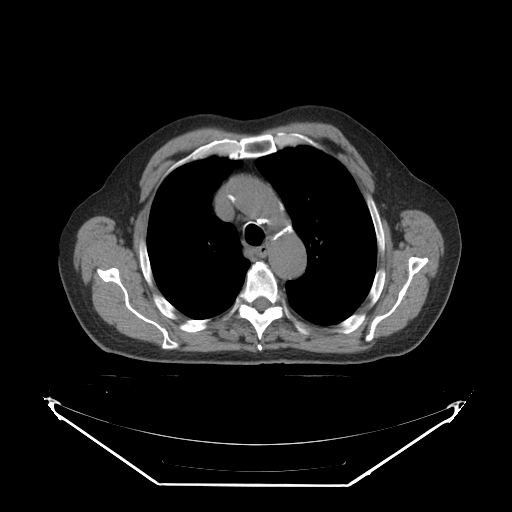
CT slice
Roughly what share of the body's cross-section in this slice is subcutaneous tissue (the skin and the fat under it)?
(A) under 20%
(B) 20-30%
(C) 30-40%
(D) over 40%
Answer: (B) 20-30%
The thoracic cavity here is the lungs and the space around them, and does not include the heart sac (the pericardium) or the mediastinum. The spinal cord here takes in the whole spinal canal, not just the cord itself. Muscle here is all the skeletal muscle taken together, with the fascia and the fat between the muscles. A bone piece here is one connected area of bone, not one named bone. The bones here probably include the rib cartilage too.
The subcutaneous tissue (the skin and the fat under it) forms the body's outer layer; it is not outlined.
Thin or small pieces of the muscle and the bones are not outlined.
The bones appear in 10 outlined pieces: piece 1: [[257,261],[263,261],[267,264],[275,276],[279,288],[283,290],[289,311],[298,321],[309,329],[308,334],[301,333],[295,327],[294,322],[284,315],[273,320],[265,328],[259,339],[253,325],[247,319],[239,317],[236,312],[225,318],[244,286],[248,269]], around a hole outlined by [[258,297],[264,297],[265,298],[266,298],[269,301],[269,302],[270,303],[270,305],[267,308],[266,308],[263,311],[262,311],[261,312],[260,312],[258,310],[257,310],[252,305],[252,303]]; piece 2: [[278,132],[296,132],[303,134],[319,143],[325,151],[311,145],[299,144],[285,146],[275,152],[256,158],[230,159],[226,156],[211,155],[178,166],[159,184],[162,176],[170,166],[198,147],[213,140],[223,138],[239,140],[243,137],[266,133],[274,136]]; piece 3: [[111,267],[115,267],[119,271],[120,281],[127,291],[129,304],[143,316],[164,328],[168,336],[178,343],[179,345],[176,348],[162,348],[162,332],[128,309],[125,304],[124,293],[115,282],[104,281],[99,276],[97,273],[98,268],[105,270]]; piece 4: [[411,256],[427,257],[428,259],[427,262],[412,276],[410,283],[396,308],[388,316],[383,318],[376,325],[372,339],[369,341],[366,341],[365,337],[369,332],[371,322],[373,319],[378,315],[382,315],[386,313],[396,302],[399,291],[408,277],[408,259]]; piece 5: [[367,195],[370,195],[372,197],[379,213],[379,216],[383,229],[384,242],[385,243],[384,244],[385,245],[384,246],[384,251],[382,255],[378,252],[377,239],[376,238],[375,229],[374,228],[374,225],[372,221],[372,218],[369,209],[365,200]]; piece 6: [[141,239],[144,239],[146,244],[147,254],[148,255],[149,263],[151,268],[151,272],[153,277],[152,285],[151,286],[148,284],[144,278],[144,276],[140,266],[140,262],[139,261],[139,244]]; piece 7: [[354,313],[364,313],[365,314],[365,318],[364,319],[364,320],[356,329],[355,329],[353,331],[352,331],[349,333],[341,333],[340,332],[337,332],[334,330],[334,329],[336,327],[337,324],[338,324],[340,322],[343,321],[345,319],[346,319]]; piece 8: [[381,268],[385,271],[385,280],[384,281],[384,284],[383,285],[382,290],[380,293],[380,295],[378,299],[372,306],[370,306],[370,299],[368,298],[367,296],[371,288],[371,286],[373,283],[373,280],[375,276],[375,273],[378,269],[380,269]]; piece 9: [[154,294],[160,294],[161,295],[162,295],[175,308],[175,314],[176,315],[176,318],[175,319],[172,319],[169,317],[167,317],[165,315],[164,315],[158,309],[158,308],[156,306],[156,305],[154,302],[154,300],[153,299],[153,295]]; piece 10: [[207,318],[210,318],[210,320],[207,323],[207,325],[204,329],[202,329],[201,330],[199,330],[198,331],[195,331],[194,332],[188,332],[187,331],[184,331],[179,328],[179,326],[180,325],[180,324],[181,324],[183,322],[184,322],[187,319],[206,319]]. The muscle is outlined by [[293,121],[329,123],[339,129],[353,145],[374,176],[376,184],[376,202],[381,214],[387,221],[394,243],[397,244],[402,237],[402,227],[399,218],[401,211],[406,209],[418,209],[427,213],[435,222],[443,238],[444,253],[436,279],[417,318],[401,331],[376,343],[362,352],[327,354],[299,349],[262,350],[263,347],[260,342],[256,344],[256,348],[259,351],[257,352],[245,350],[204,353],[170,351],[165,350],[176,349],[180,345],[179,343],[169,336],[168,331],[164,327],[143,315],[130,304],[128,291],[121,281],[120,271],[117,267],[111,266],[105,269],[98,267],[96,269],[98,276],[104,282],[113,282],[120,288],[127,309],[138,318],[153,325],[159,330],[162,334],[162,341],[160,348],[148,342],[122,334],[109,326],[94,309],[91,299],[81,283],[74,267],[73,254],[77,232],[81,225],[91,217],[98,215],[107,216],[115,221],[125,245],[129,247],[132,244],[133,228],[139,208],[139,181],[141,175],[151,156],[167,141],[187,131],[206,126],[215,126],[241,133],[257,134],[265,129]], around holes outlined by [[278,132],[300,133],[319,143],[346,168],[363,198],[367,195],[372,197],[379,213],[385,243],[382,255],[376,253],[375,268],[385,271],[380,295],[372,306],[369,298],[364,299],[355,312],[364,313],[365,318],[349,333],[335,331],[336,324],[320,325],[310,322],[289,306],[291,314],[309,329],[308,334],[301,333],[294,322],[284,315],[273,320],[259,339],[253,325],[247,319],[239,317],[236,312],[225,318],[228,310],[211,317],[204,329],[184,331],[179,326],[189,318],[176,309],[176,318],[172,319],[158,309],[153,295],[161,292],[154,279],[151,286],[148,284],[139,261],[140,240],[147,237],[150,210],[161,178],[175,162],[213,140],[239,140],[266,133],[274,136]] and by [[411,256],[427,257],[428,259],[427,262],[412,276],[410,283],[396,308],[388,316],[383,318],[376,325],[372,339],[369,341],[366,341],[365,337],[369,332],[371,322],[373,319],[378,315],[382,315],[386,313],[396,302],[399,291],[408,277],[408,259]]. The torso is outlined by [[299,104],[321,104],[349,114],[453,206],[461,233],[460,261],[448,300],[425,338],[407,353],[359,364],[152,362],[109,353],[96,345],[72,311],[57,265],[59,237],[74,208],[103,184],[128,151],[170,121],[200,112],[256,118]]. The spinal cord is outlined by [[258,297],[264,297],[265,298],[266,298],[269,301],[269,302],[270,303],[270,305],[267,308],[266,308],[263,311],[262,311],[261,312],[260,312],[258,310],[257,310],[252,305],[252,303]]. The mediastinum is outlined by [[250,158],[256,159],[256,167],[280,196],[291,219],[291,226],[305,247],[307,264],[304,273],[297,279],[287,280],[283,289],[280,288],[276,276],[267,263],[257,260],[251,264],[242,253],[235,226],[219,219],[212,210],[212,197],[216,190],[240,160]]. The thoracic cavity appears in 2 outlined pieces: piece 1: [[299,145],[321,150],[346,168],[365,201],[374,229],[377,252],[372,283],[355,312],[336,324],[320,325],[310,322],[288,305],[284,293],[285,284],[287,281],[297,280],[305,273],[307,251],[292,226],[292,219],[281,196],[256,165],[257,158],[285,147]]; piece 2: [[211,156],[240,161],[213,193],[211,210],[219,220],[234,226],[239,238],[241,253],[249,261],[250,265],[246,271],[243,286],[228,310],[212,317],[189,318],[176,309],[161,293],[154,279],[146,243],[148,222],[154,196],[162,181],[178,167]].